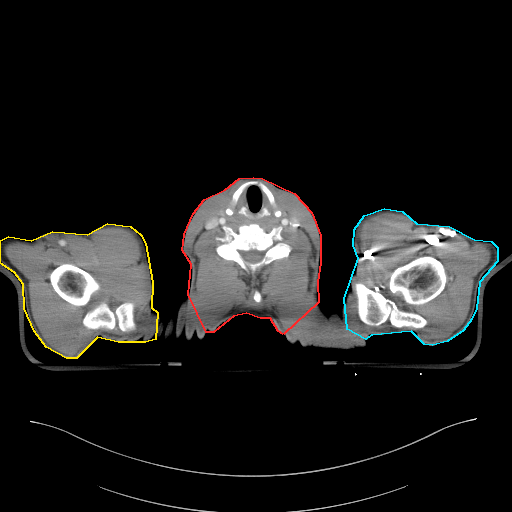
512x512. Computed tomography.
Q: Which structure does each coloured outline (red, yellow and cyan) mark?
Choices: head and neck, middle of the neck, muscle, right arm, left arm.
A: red: head and neck; yellow: right arm; cyan: left arm.
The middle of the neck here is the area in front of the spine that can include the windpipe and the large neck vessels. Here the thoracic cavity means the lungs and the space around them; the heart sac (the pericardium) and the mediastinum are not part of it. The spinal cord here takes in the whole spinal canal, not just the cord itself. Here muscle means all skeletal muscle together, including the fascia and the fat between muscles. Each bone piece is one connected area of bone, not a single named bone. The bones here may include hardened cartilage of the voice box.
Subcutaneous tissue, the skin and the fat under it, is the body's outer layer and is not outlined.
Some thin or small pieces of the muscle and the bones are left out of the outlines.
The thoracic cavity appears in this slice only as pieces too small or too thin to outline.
{"head_and_neck":[[[253,177],[262,178],[294,193],[311,212],[320,235],[320,262],[317,282],[318,302],[283,334],[278,331],[270,318],[260,318],[246,313],[233,316],[213,332],[206,332],[188,294],[191,264],[182,250],[184,234],[193,213],[204,199],[225,189],[239,178]]],"right_arm":[[[107,223],[130,226],[140,234],[145,243],[152,282],[151,307],[157,312],[155,339],[145,342],[118,342],[97,337],[76,358],[66,358],[46,347],[34,331],[24,308],[23,284],[14,272],[0,263],[0,240],[8,236],[31,240],[52,231],[87,234]]],"left_arm":[[[384,208],[402,211],[416,223],[449,226],[474,239],[491,241],[497,247],[497,261],[479,282],[476,308],[471,319],[463,330],[447,341],[432,345],[424,344],[411,331],[371,335],[365,339],[347,329],[344,298],[358,258],[353,245],[354,229],[364,215]]],"muscle":[{"outer":[[106,227],[125,228],[139,242],[138,262],[148,284],[145,329],[132,332],[137,328],[133,301],[113,310],[97,300],[81,323],[88,330],[106,330],[84,339],[75,352],[62,352],[36,324],[28,282],[5,247],[15,242],[33,245],[51,236],[89,239]],"hole":[[63,263],[70,263],[83,269],[85,271],[88,272],[98,282],[99,282],[101,286],[101,289],[95,295],[93,296],[90,302],[87,305],[85,306],[75,306],[69,303],[67,301],[64,300],[54,290],[50,282],[50,280],[49,279],[49,274],[54,268]]},{"outer":[[242,181],[233,191],[224,213],[207,218],[202,228],[206,231],[234,221],[266,221],[296,227],[298,218],[282,212],[274,194],[264,183],[295,198],[315,229],[308,287],[312,306],[231,307],[210,304],[198,298],[198,262],[188,246],[189,230],[209,200]],"holes":[[[249,223],[257,223],[267,232],[273,227],[281,226],[280,233],[283,241],[291,246],[287,257],[273,260],[262,267],[256,275],[255,280],[235,261],[224,259],[216,252],[216,247],[220,242],[215,238],[225,235],[223,226],[237,231],[240,225]],[[256,289],[258,289],[259,290],[259,291],[260,292],[260,293],[261,294],[261,295],[262,296],[262,299],[261,300],[261,301],[260,302],[256,302],[253,299],[253,295],[254,294],[254,291]]]},{"outer":[[384,212],[404,216],[414,228],[452,230],[471,245],[480,244],[489,250],[488,263],[474,278],[468,312],[461,324],[449,334],[427,337],[420,329],[425,327],[428,321],[421,314],[400,307],[391,298],[355,280],[364,255],[359,237],[360,226],[369,217]],"hole":[[421,256],[432,256],[439,260],[443,264],[446,272],[445,286],[442,291],[436,297],[428,302],[421,305],[408,305],[405,304],[402,301],[399,295],[394,294],[390,291],[388,287],[390,276],[391,273],[397,267],[403,265],[417,257],[420,257]]},[[353,293],[356,300],[356,313],[362,323],[371,327],[378,327],[388,321],[393,327],[362,329],[360,336],[353,341],[339,341],[307,335],[305,332],[300,332],[290,326],[287,322],[291,316],[303,316],[312,321],[317,318],[346,323],[348,321],[346,307]]],"bones":[{"outer":[[249,223],[257,223],[267,232],[273,227],[281,226],[280,233],[283,241],[291,246],[287,257],[273,260],[262,267],[256,275],[255,280],[235,261],[224,259],[216,252],[216,247],[220,242],[215,238],[225,235],[223,226],[237,231],[240,225]],"hole":[[250,250],[256,250],[257,251],[264,251],[264,254],[263,255],[263,256],[262,257],[262,258],[259,261],[258,261],[257,262],[249,262],[248,261],[246,261],[242,257],[242,256],[241,255],[241,254],[240,253],[240,251],[249,251]]},[[421,256],[432,256],[439,260],[443,264],[446,272],[445,286],[442,291],[436,297],[428,302],[421,305],[408,305],[405,304],[402,301],[399,295],[394,294],[390,291],[388,287],[390,276],[391,273],[397,267],[403,265],[417,257],[420,257]],[[354,280],[364,284],[374,291],[381,293],[385,297],[391,299],[400,308],[418,313],[427,321],[427,324],[421,328],[413,328],[412,327],[400,327],[398,328],[394,327],[388,320],[378,326],[371,326],[362,322],[357,313],[357,300],[352,289],[352,282]],[[63,263],[70,263],[83,269],[85,271],[88,272],[98,282],[99,282],[101,286],[101,289],[95,295],[93,296],[90,302],[87,305],[85,306],[75,306],[69,303],[67,301],[64,300],[54,290],[50,282],[50,280],[49,279],[49,274],[54,268]],[[101,300],[104,301],[113,311],[118,305],[123,302],[133,302],[135,304],[134,308],[134,320],[136,323],[135,330],[131,332],[123,332],[117,327],[113,330],[107,330],[102,328],[98,329],[86,328],[82,323],[84,315],[92,307],[95,302]],[[248,180],[259,180],[271,191],[276,203],[276,208],[281,211],[281,214],[278,217],[275,216],[274,214],[274,211],[276,208],[271,204],[268,197],[256,184],[251,184],[244,189],[239,195],[236,203],[233,206],[231,205],[231,198],[234,191],[241,184]]],"torso":[[[343,300],[346,329],[350,333],[365,340],[367,340],[365,347],[350,349],[349,350],[327,349],[318,347],[303,347],[297,342],[293,344],[290,343],[283,335],[318,303],[319,303],[321,309],[327,314],[331,311],[335,311],[340,313],[342,308]],[[187,294],[205,332],[204,337],[202,339],[199,339],[196,335],[193,335],[191,339],[188,341],[182,334],[178,339],[176,339],[173,336],[167,340],[164,340],[161,337],[156,339],[157,313],[158,312],[165,321],[171,316],[175,316],[180,303]]],"spinal_cord":[[[250,250],[256,250],[257,251],[264,251],[264,254],[263,255],[263,256],[262,257],[262,258],[259,261],[258,261],[257,262],[249,262],[248,261],[246,261],[242,257],[242,256],[241,255],[241,254],[240,253],[240,251],[249,251]]],"middle_of_the_neck":[{"outer":[[251,185],[256,185],[267,197],[270,204],[275,208],[273,211],[275,217],[278,218],[284,212],[296,217],[298,225],[289,226],[266,220],[234,220],[210,229],[205,230],[203,228],[207,219],[221,214],[231,216],[234,213],[232,207],[237,203],[242,192]],"hole":[[263,206],[263,207],[267,211],[267,214],[265,214],[263,216],[261,216],[260,217],[257,217],[257,215],[260,212],[260,211],[261,210],[261,209],[263,207]]}]}